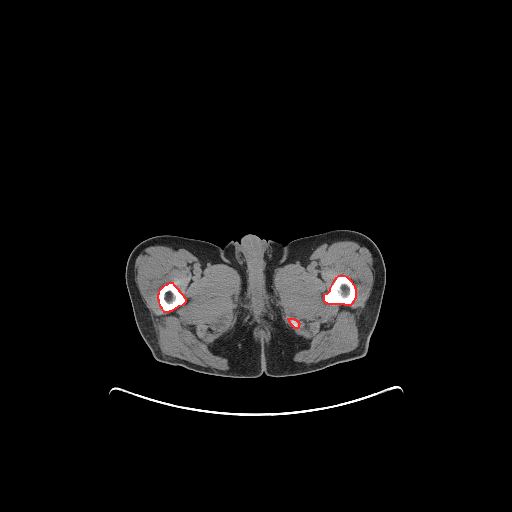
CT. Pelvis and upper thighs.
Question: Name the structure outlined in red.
Answer: red: bones.
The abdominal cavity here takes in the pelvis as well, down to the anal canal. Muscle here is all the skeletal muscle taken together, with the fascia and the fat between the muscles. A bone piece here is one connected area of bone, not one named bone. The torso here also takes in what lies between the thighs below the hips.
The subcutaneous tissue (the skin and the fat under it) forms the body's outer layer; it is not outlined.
{"bones":[[[339,275],[344,275],[346,276],[348,278],[349,278],[349,279],[354,285],[354,287],[355,288],[355,298],[352,302],[352,303],[350,305],[345,305],[344,304],[328,304],[324,301],[324,294],[327,293],[330,290],[330,288],[334,280],[336,278],[336,277]],[[169,282],[172,282],[173,284],[178,289],[178,290],[183,295],[183,296],[185,298],[185,302],[182,305],[178,306],[171,311],[169,311],[168,312],[164,312],[162,308],[160,306],[159,300],[158,299],[158,294],[159,293],[160,289],[164,285],[167,284]],[[288,318],[293,318],[294,319],[295,319],[296,320],[297,320],[297,321],[299,323],[299,324],[298,325],[298,327],[297,328],[295,328],[290,323],[290,322],[289,321],[289,320],[288,319]]],"right_leg":[[[164,234],[204,240],[221,247],[223,258],[244,275],[245,321],[260,348],[262,374],[259,377],[233,378],[209,375],[199,373],[182,366],[159,362],[153,357],[149,348],[143,340],[134,319],[133,310],[126,286],[125,270],[129,254],[138,243],[149,237]]],"muscle":[{"outer":[[162,244],[184,248],[201,260],[225,264],[234,268],[240,274],[242,284],[235,326],[218,342],[219,349],[215,352],[228,359],[230,367],[228,369],[223,370],[202,366],[162,353],[157,342],[149,310],[141,297],[134,276],[134,263],[140,252],[148,246]],"hole":[[169,282],[172,282],[173,284],[178,289],[178,290],[183,295],[183,296],[185,298],[185,302],[182,305],[178,306],[171,311],[169,311],[168,312],[164,312],[162,308],[160,306],[159,300],[158,299],[158,294],[159,293],[160,289],[164,285],[167,284]]},{"outer":[[333,239],[359,241],[370,251],[373,259],[374,280],[358,327],[359,343],[356,348],[349,352],[341,353],[317,362],[297,362],[292,357],[299,349],[297,346],[299,338],[285,324],[280,310],[273,300],[270,286],[272,274],[278,266],[300,260],[320,243]],"holes":[[[339,275],[344,275],[346,276],[348,278],[349,278],[349,279],[354,285],[354,287],[355,288],[355,298],[352,302],[352,303],[350,305],[345,305],[344,304],[328,304],[324,301],[324,294],[327,293],[330,290],[330,288],[334,280],[336,278],[336,277]],[[288,318],[293,318],[294,319],[295,319],[296,320],[297,320],[297,321],[299,323],[299,324],[298,325],[298,327],[297,328],[295,328],[290,323],[290,322],[289,321],[289,320],[288,319]]]},{"outer":[[258,324],[265,324],[266,325],[268,325],[269,326],[269,327],[270,328],[271,328],[270,329],[270,339],[266,343],[262,343],[261,342],[260,342],[258,340],[256,340],[254,337],[254,333],[253,332],[253,327],[254,326],[255,326]],"hole":[[260,328],[263,328],[266,331],[266,333],[263,336],[263,338],[262,338],[260,336],[259,336],[258,335],[258,331],[257,330],[258,329],[259,329]]}],"left_leg":[[[335,229],[350,229],[368,236],[377,245],[385,264],[385,289],[379,315],[369,340],[367,353],[361,358],[335,364],[310,373],[286,377],[268,376],[263,373],[262,368],[262,353],[270,333],[268,301],[263,281],[278,265],[283,262],[287,246],[290,241]]],"torso":[[[248,233],[254,234],[262,239],[270,239],[282,244],[287,243],[282,262],[278,264],[262,281],[267,301],[269,325],[269,333],[262,352],[258,341],[252,334],[246,321],[245,275],[224,258],[222,251],[222,247],[229,241],[238,241],[243,235]]],"abdominal_cavity":[[[260,328],[263,328],[266,331],[266,333],[263,336],[263,338],[262,338],[260,336],[259,336],[258,335],[258,331],[257,330],[258,329],[259,329]]]}